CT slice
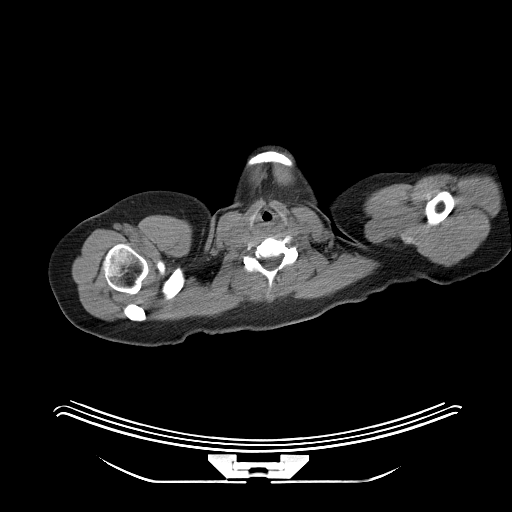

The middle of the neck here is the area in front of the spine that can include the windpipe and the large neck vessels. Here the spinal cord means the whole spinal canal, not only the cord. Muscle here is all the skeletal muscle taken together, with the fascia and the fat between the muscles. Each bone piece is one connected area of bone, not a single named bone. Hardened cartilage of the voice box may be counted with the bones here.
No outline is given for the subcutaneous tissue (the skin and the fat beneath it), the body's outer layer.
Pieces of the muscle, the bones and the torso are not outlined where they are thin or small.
Outlines:
head and neck: [[268,143],[280,144],[285,146],[294,154],[299,163],[299,165],[309,180],[309,182],[311,184],[319,201],[273,201],[272,202],[264,202],[263,203],[230,203],[232,200],[234,188],[238,179],[240,170],[244,163],[244,158],[246,154],[255,146]]
right arm: [[158,189],[191,194],[205,202],[209,207],[211,211],[211,224],[200,251],[189,262],[169,273],[160,293],[145,307],[116,318],[108,318],[89,324],[72,324],[62,313],[48,281],[48,260],[54,246],[62,236],[79,222],[101,212],[118,200],[134,193]]
spinal cord: [[279,256],[281,256],[281,258],[280,259],[280,261],[279,262],[279,263],[273,269],[271,269],[270,270],[269,269],[267,269],[266,268],[265,268],[262,265],[262,264],[259,260],[260,259],[266,259],[267,258],[270,258],[271,257],[278,257]]
torso: [[273,202],[319,202],[336,235],[342,236],[341,231],[363,249],[423,279],[393,284],[364,301],[341,304],[298,323],[264,331],[199,332],[177,345],[112,342],[73,325],[124,317],[148,306],[170,273],[199,254],[211,228],[212,212],[228,204]]
middle of the neck: [[263,206],[270,206],[277,210],[278,212],[281,212],[279,214],[282,217],[283,215],[285,217],[285,220],[287,222],[285,227],[281,231],[269,234],[253,233],[250,231],[250,228],[248,226],[248,224],[250,226],[253,224],[254,219],[257,214],[257,210]]
muscle: [[262,163],[294,166],[297,184],[330,230],[335,245],[367,255],[385,250],[365,237],[362,204],[384,186],[437,173],[485,173],[498,186],[501,208],[482,243],[451,266],[406,247],[387,251],[372,274],[319,298],[244,302],[214,317],[162,321],[147,321],[144,308],[129,302],[122,309],[127,318],[106,321],[84,309],[71,275],[71,264],[89,234],[116,221],[177,214],[193,227],[195,255],[215,218],[246,198],[247,167]]; inner edges: [[118,243],[125,243],[126,244],[128,244],[140,255],[141,255],[147,262],[147,264],[148,265],[148,273],[142,280],[140,289],[138,292],[135,294],[129,294],[125,292],[117,291],[110,287],[105,279],[104,272],[102,269],[102,262],[108,250],[114,245]], then [[287,235],[292,237],[289,244],[296,247],[298,255],[293,263],[286,264],[278,271],[272,282],[268,298],[266,297],[268,290],[266,277],[258,271],[246,271],[244,268],[243,256],[248,253],[246,250],[248,242],[252,242],[257,245],[268,236],[282,239]], then [[263,206],[270,206],[272,208],[277,210],[278,212],[281,212],[281,213],[285,217],[285,220],[287,222],[285,227],[282,229],[281,231],[278,231],[276,233],[270,233],[269,234],[253,233],[250,231],[250,228],[248,226],[250,216],[254,212]], then [[443,190],[446,190],[448,191],[454,197],[455,199],[454,206],[451,211],[446,216],[446,217],[438,224],[436,225],[432,225],[431,226],[427,226],[426,225],[426,219],[424,214],[424,208],[425,207],[425,205],[430,199],[435,196],[440,191],[442,191]], then [[178,267],[180,267],[183,270],[183,272],[185,276],[185,280],[184,281],[183,286],[181,288],[181,289],[172,298],[168,300],[165,300],[164,298],[164,296],[161,291],[162,284],[163,282],[175,270],[175,269]], then [[159,259],[161,259],[164,262],[164,263],[165,264],[165,272],[164,273],[164,274],[160,274],[160,273],[159,272],[159,271],[158,270],[158,269],[157,268],[157,266],[156,265],[156,263],[157,262],[157,261]], then [[402,235],[403,235],[404,236],[410,236],[411,237],[412,237],[413,238],[413,242],[412,242],[411,243],[408,243],[407,242],[405,242],[402,239]]
left arm: [[469,160],[491,161],[495,166],[507,210],[510,251],[495,267],[462,281],[450,285],[437,284],[410,272],[392,261],[370,252],[358,245],[340,230],[332,222],[327,213],[326,206],[328,201],[334,195],[370,174],[392,171],[413,172],[424,165],[434,162]]
bones 1: [[118,243],[125,243],[126,244],[128,244],[140,255],[141,255],[147,262],[147,264],[148,265],[148,273],[142,280],[140,289],[138,292],[135,294],[129,294],[125,292],[117,291],[110,287],[105,279],[104,272],[102,269],[102,262],[108,250],[114,245]]
bones 2: [[287,235],[292,237],[289,244],[296,247],[298,255],[293,263],[286,264],[278,271],[272,282],[268,298],[266,297],[268,290],[266,277],[258,271],[246,271],[244,268],[243,256],[248,253],[246,250],[248,242],[252,242],[257,245],[268,236],[282,239]]; inner edge: [[279,256],[281,256],[281,258],[280,259],[280,261],[279,262],[279,263],[273,269],[271,269],[270,270],[269,269],[267,269],[266,268],[265,268],[262,265],[262,264],[259,260],[260,259],[266,259],[267,258],[270,258],[271,257],[278,257]]
bones 3: [[443,190],[446,190],[448,191],[454,197],[455,199],[454,206],[451,211],[446,216],[446,217],[438,224],[436,225],[432,225],[431,226],[427,226],[426,225],[426,219],[424,214],[424,208],[425,207],[425,205],[430,199],[435,196],[440,191],[442,191]]
bones 4: [[178,267],[180,267],[183,270],[183,272],[185,276],[185,280],[184,281],[183,286],[181,288],[181,289],[172,298],[168,300],[165,300],[164,298],[164,296],[161,291],[162,284],[163,282],[175,270],[175,269]]
bones 5: [[268,150],[273,150],[274,151],[277,151],[284,154],[292,160],[293,162],[293,166],[287,166],[278,162],[262,162],[261,163],[256,163],[252,165],[247,165],[246,164],[247,163],[247,161],[252,156],[260,152],[263,152],[264,151],[267,151]]
bones 6: [[129,303],[135,303],[136,304],[137,304],[138,305],[141,306],[143,308],[143,309],[145,312],[145,314],[146,315],[146,319],[144,321],[134,321],[133,320],[131,320],[130,319],[129,319],[125,315],[125,314],[123,312],[123,309],[124,308],[124,307]]